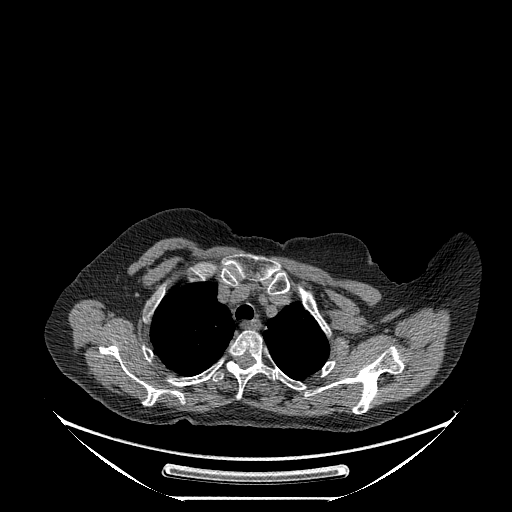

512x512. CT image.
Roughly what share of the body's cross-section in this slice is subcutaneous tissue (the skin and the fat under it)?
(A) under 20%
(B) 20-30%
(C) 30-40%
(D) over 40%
(C) 30-40%
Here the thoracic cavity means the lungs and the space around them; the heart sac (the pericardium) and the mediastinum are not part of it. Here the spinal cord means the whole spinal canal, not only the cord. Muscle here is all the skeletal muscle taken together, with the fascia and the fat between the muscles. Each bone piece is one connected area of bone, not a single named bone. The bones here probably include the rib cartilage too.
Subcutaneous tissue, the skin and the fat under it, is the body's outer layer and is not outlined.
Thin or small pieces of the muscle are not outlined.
The bones appear in 6 outlined pieces: piece 1: 247 329; 262 336; 285 374; 313 389; 356 376; 392 345; 404 356; 405 366; 398 374; 378 376; 371 407; 362 414; 351 411; 361 396; 360 382; 304 398; 302 390; 259 372; 237 400; 238 382; 226 370; 217 382; 208 379; 180 387; 185 404; 163 393; 152 406; 144 406; 140 402; 146 389; 99 346; 115 345; 131 373; 165 389; 171 387; 164 381; 167 375; 200 373 with a hole at 246 353; 247 353; 248 354; 249 354; 254 359; 254 362; 251 365; 250 365; 249 366; 248 366; 247 367; 246 367; 245 368; 243 368; 242 367; 241 367; 236 362; 236 359; 239 356; 241 356; 242 355; 243 355; 244 354; 245 354; piece 2: 241 251; 275 258; 280 262; 292 282; 299 283; 305 289; 311 291; 320 314; 331 330; 330 338; 327 338; 316 320; 303 305; 294 288; 285 294; 271 295; 266 292; 265 284; 248 277; 240 280; 236 286; 219 281; 217 277; 221 259; piece 3: 169 278; 170 280; 168 284; 168 290; 154 311; 154 313; 151 318; 151 322; 149 325; 149 327; 148 327; 148 326; 145 324; 142 320; 144 304; 146 300; 151 295; 151 294; 156 289; 156 288; 162 282; 163 282; 166 279; 168 279; piece 4: 204 261; 206 261; 207 262; 211 262; 212 263; 214 263; 218 265; 218 268; 212 275; 212 276; 209 279; 205 281; 195 281; 194 282; 188 282; 186 281; 186 278; 189 273; 189 271; 188 270; 189 267; 193 266; 197 263; 203 262; piece 5: 331 359; 334 359; 336 361; 336 363; 335 364; 334 367; 332 369; 332 370; 325 376; 324 376; 323 377; 320 377; 320 376; 319 375; 320 374; 320 372; 319 371; 320 370; 320 369; 327 360; 330 360; piece 6: 142 344; 144 344; 147 347; 150 348; 159 360; 158 360; 156 358; 155 358; 153 360; 153 361; 152 362; 152 364; 149 363; 145 359; 145 358; 143 355; 143 353; 142 352; 142 350; 141 349; 141 345. The mediastinum is outlined by 248 278; 261 283; 268 295; 275 296; 293 294; 297 299; 286 305; 274 317; 267 321; 267 328; 262 335; 254 329; 247 328; 243 329; 234 337; 235 322; 228 307; 218 301; 218 283; 213 279; 232 287; 236 287; 240 281. The left arm is outlined by 457 231; 468 232; 475 240; 480 253; 482 263; 482 280; 480 286; 480 299; 478 304; 478 309; 474 324; 470 334; 466 340; 462 353; 456 365; 444 382; 423 400; 414 279; 419 276; 425 270; 428 261; 438 248; 454 232. The torso is outlined by 175 207; 194 208; 221 219; 236 234; 278 242; 294 236; 347 233; 367 246; 371 258; 390 280; 401 283; 413 279; 422 400; 379 425; 334 432; 195 425; 185 419; 173 424; 150 424; 125 418; 92 398; 69 379; 72 281; 130 225. The muscle appears in 3 outlined pieces: piece 1: 263 254; 289 257; 378 289; 382 298; 367 316; 378 331; 424 307; 442 305; 448 308; 451 311; 451 327; 446 353; 435 377; 413 395; 365 413; 372 407; 377 395; 379 376; 383 373; 398 375; 406 366; 405 356; 392 344; 359 368; 356 375; 309 387; 304 382; 308 377; 319 372; 319 377; 323 378; 337 363; 334 358; 329 359; 332 330; 321 314; 313 292; 299 282; 292 281; 275 257; piece 2: 172 236; 251 251; 222 257; 216 278; 211 278; 218 264; 197 262; 188 267; 185 281; 169 289; 171 279; 166 278; 145 300; 141 320; 151 348; 142 343; 140 349; 149 364; 156 359; 177 375; 164 377; 170 387; 157 388; 131 372; 115 344; 98 346; 145 389; 139 405; 101 385; 83 367; 74 352; 68 313; 76 302; 96 299; 115 316; 135 321; 147 291; 127 268; 154 243; piece 3: 226 371; 237 382; 234 395; 237 401; 248 381; 259 373; 302 391; 304 399; 340 385; 360 383; 361 390; 350 409; 353 414; 286 415; 239 402; 205 412; 144 407; 152 407; 163 394; 185 405; 187 399; 180 388; 208 380; 217 383. The thoracic cavity appears in 2 outlined pieces: piece 1: 210 279; 214 280; 217 283; 217 301; 227 307; 234 322; 233 338; 229 342; 222 355; 209 366; 193 375; 178 375; 166 367; 160 361; 152 349; 152 343; 150 340; 149 333; 152 318; 167 292; 177 284; 180 282; 205 282; piece 2: 298 299; 300 300; 302 305; 315 320; 329 343; 328 359; 324 362; 318 371; 311 374; 303 381; 295 379; 289 376; 277 365; 273 359; 268 347; 264 342; 263 337; 263 333; 268 328; 267 325; 268 321; 270 319; 274 318; 286 306. The right arm is outlined by 71 282; 71 298; 70 299; 70 331; 69 332; 69 365; 68 366; 68 378; 59 370; 59 369; 56 366; 55 363; 53 361; 45 345; 43 333; 44 332; 44 326; 45 325; 45 323; 50 314; 52 307; 57 297; 59 295; 61 291. The spinal cord is outlined by 246 353; 247 353; 248 354; 249 354; 254 359; 254 362; 251 365; 250 365; 249 366; 248 366; 247 367; 246 367; 245 368; 243 368; 242 367; 241 367; 236 362; 236 359; 239 356; 241 356; 242 355; 243 355; 244 354; 245 354.